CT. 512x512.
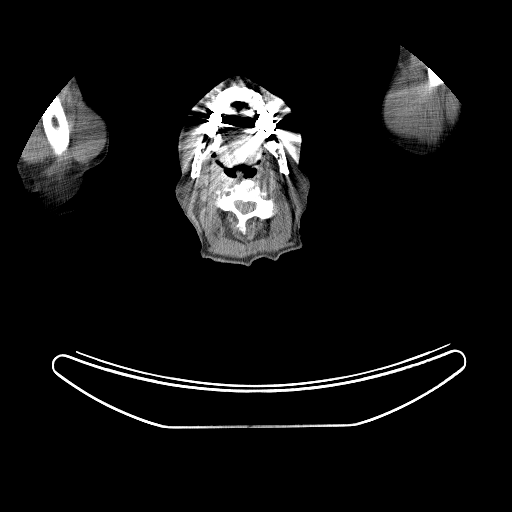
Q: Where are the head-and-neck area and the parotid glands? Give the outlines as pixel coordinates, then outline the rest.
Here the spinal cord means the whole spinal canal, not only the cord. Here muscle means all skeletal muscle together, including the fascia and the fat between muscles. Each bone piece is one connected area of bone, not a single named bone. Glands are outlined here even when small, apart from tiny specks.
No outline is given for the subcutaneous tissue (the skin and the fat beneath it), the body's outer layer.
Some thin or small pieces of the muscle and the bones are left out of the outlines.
A: Outlines:
head and neck: 237 74; 249 78; 281 98; 290 108; 299 125; 301 136; 298 167; 310 181; 306 208; 300 218; 302 246; 283 253; 276 260; 256 259; 249 266; 222 263; 202 257; 196 231; 175 196; 175 185; 181 174; 178 138; 192 107; 224 79 with holes at 242 165; 244 165; 245 166; 247 166; 250 168; 255 168; 255 173; 254 174; 254 175; 253 175; 251 177; 244 177; 244 175; 243 174; 242 171; 241 170; 240 170; 240 169; 239 168; 238 168; 239 168; 240 167; 240 166; 241 166 and at 225 167; 227 167; 228 168; 236 168; 235 168; 234 169; 235 170; 236 170; 235 171; 235 172; 236 173; 236 175; 234 177; 230 177; 229 176; 228 176; 223 171; 223 169
parotid glands 1: 300 178; 301 178; 302 178; 303 178; 303 179; 304 180; 304 181; 305 182; 305 183; 305 184; 305 185; 305 186; 305 187; 304 187; 303 187; 303 186; 302 185; 302 184; 301 183; 301 182; 300 181; 300 180; 300 179
parotid glands 2: 184 184; 185 185; 186 186; 186 187; 185 188; 185 189; 184 190; 183 191; 182 191; 181 191; 180 190; 180 189; 180 188; 180 187; 181 186; 182 185; 183 185
spinal cord: 236 201; 240 201; 241 202; 253 202; 255 204; 255 207; 254 208; 254 209; 253 210; 252 210; 251 211; 249 211; 248 212; 247 212; 246 213; 243 213; 239 209; 238 209; 236 207; 236 205; 235 204; 235 202
right arm: 74 76; 77 79; 81 92; 85 99; 103 116; 106 121; 109 131; 108 150; 106 156; 100 163; 85 172; 83 185; 64 206; 47 206; 38 202; 36 193; 27 192; 24 189; 16 168; 22 152; 42 114; 52 100; 61 91; 69 80
left arm: 400 45; 417 56; 427 67; 430 68; 437 74; 444 82; 445 85; 449 88; 457 98; 462 106; 461 117; 455 135; 446 153; 440 159; 427 160; 408 153; 391 142; 388 139; 383 130; 380 117; 381 105; 391 74; 397 61; 398 47
muscle 1: 219 89; 193 136; 189 176; 200 176; 224 117; 238 102; 255 115; 276 153; 279 172; 287 177; 290 170; 285 144; 263 96; 274 100; 295 131; 294 166; 304 188; 291 245; 243 258; 212 253; 183 203; 188 177; 183 142; 197 108 with a hole at 242 165; 255 168; 251 178; 258 182; 260 189; 266 191; 273 199; 277 209; 276 213; 269 218; 249 219; 246 222; 245 234; 235 227; 237 218; 231 211; 224 211; 214 204; 214 190; 220 184; 227 182; 231 186; 244 177; 238 168
muscle 2: 411 52; 417 56; 424 64; 426 72; 426 85; 430 89; 446 86; 457 98; 457 111; 453 121; 444 132; 433 142; 423 141; 416 137; 406 137; 400 135; 394 132; 388 126; 385 118; 385 106; 387 96; 401 69; 401 63; 409 56
muscle 3: 71 78; 75 80; 75 90; 79 99; 97 116; 101 122; 102 129; 105 134; 105 141; 100 152; 71 175; 58 180; 47 179; 34 172; 20 157; 40 119; 47 142; 54 156; 56 158; 60 158; 67 151; 70 144; 71 130; 59 93
bones 1: 233 85; 248 87; 262 95; 284 144; 289 170; 287 176; 280 172; 277 153; 256 115; 245 103; 238 101; 234 102; 222 116; 222 123; 210 144; 209 155; 201 163; 199 176; 195 178; 190 176; 194 156; 194 136; 209 103; 222 89
bones 2: 243 178; 251 178; 258 182; 260 189; 266 191; 273 199; 277 209; 276 213; 269 218; 261 219; 253 217; 249 219; 246 222; 245 234; 235 227; 237 218; 231 211; 224 211; 214 204; 214 190; 220 184; 227 182; 231 186; 240 182; inner edge: 236 201; 240 201; 241 202; 253 202; 255 204; 255 207; 254 208; 254 209; 253 210; 252 210; 251 211; 249 211; 248 212; 247 212; 246 213; 243 213; 239 209; 238 209; 236 207; 236 205; 235 204; 235 202
bones 3: 58 94; 59 95; 61 105; 64 110; 65 116; 70 130; 69 131; 69 144; 67 147; 66 151; 63 155; 60 157; 56 157; 55 156; 53 152; 53 150; 48 142; 47 137; 44 131; 42 120; 41 119; 42 114; 46 108; 52 100
bones 4: 425 65; 427 67; 430 68; 436 74; 437 74; 437 75; 438 76; 439 76; 439 77; 444 82; 445 85; 444 85; 443 86; 439 86; 438 87; 434 87; 433 88; 430 88; 427 85; 427 72; 426 71; 426 68; 425 67